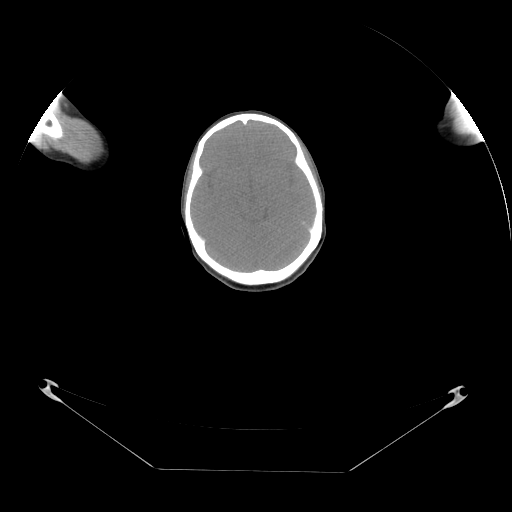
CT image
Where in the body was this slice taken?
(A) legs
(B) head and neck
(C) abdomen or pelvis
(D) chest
(B) head and neck
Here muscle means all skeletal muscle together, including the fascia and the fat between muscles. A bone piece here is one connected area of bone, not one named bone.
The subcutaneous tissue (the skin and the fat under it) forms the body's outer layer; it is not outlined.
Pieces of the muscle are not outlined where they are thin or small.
{"brain":[[[239,121],[243,125],[249,121],[265,123],[285,134],[295,149],[293,162],[304,175],[313,198],[314,214],[306,243],[291,261],[275,269],[244,271],[222,264],[208,252],[206,240],[197,231],[192,218],[194,190],[204,171],[200,160],[205,144],[213,134]]],"muscle":[[[54,98],[57,99],[58,107],[64,114],[84,120],[98,133],[102,140],[104,149],[102,155],[98,159],[86,164],[59,151],[45,151],[35,144],[35,141],[30,137],[37,124],[43,134],[54,140],[60,139],[64,135],[63,128],[58,117],[44,112]],[[455,97],[458,98],[458,99],[463,104],[465,108],[472,117],[480,132],[481,137],[477,137],[476,139],[472,139],[468,136],[462,136],[461,135],[459,135],[453,131],[451,126],[451,119],[448,115],[448,108],[449,107],[450,102],[451,101],[452,102]],[[301,143],[306,150],[310,158],[310,160],[314,167],[314,169],[315,170],[315,172],[316,173],[316,175],[317,176],[317,178],[321,188],[322,195],[323,196],[323,204],[322,198],[321,197],[321,193],[320,192],[317,181],[305,157],[304,152],[302,149]],[[193,155],[193,158],[192,159],[192,165],[191,166],[191,173],[190,174],[190,178],[188,182],[188,185],[186,189],[185,197],[184,198],[183,213],[183,197],[184,196],[185,182],[186,181],[186,178],[187,177],[187,172],[189,169],[189,165],[191,162]]],"head":[[[244,109],[259,109],[270,112],[285,121],[299,134],[315,161],[327,196],[327,233],[319,253],[305,272],[295,281],[272,291],[235,290],[214,278],[193,257],[188,242],[183,241],[176,225],[176,221],[180,219],[182,178],[197,138],[210,123],[221,115]]],"left_arm":[[[451,96],[454,96],[458,98],[468,111],[475,122],[481,135],[481,140],[480,140],[477,144],[472,146],[468,146],[467,147],[459,147],[458,146],[454,146],[448,143],[446,143],[437,136],[434,129],[434,124],[442,115],[443,107],[447,99]]],"bones":[{"outer":[[239,113],[259,113],[267,115],[279,120],[293,131],[300,142],[304,157],[316,181],[323,205],[322,231],[316,247],[290,276],[273,283],[247,285],[235,282],[221,275],[198,255],[191,243],[185,226],[185,198],[191,178],[197,143],[214,124],[224,118]],"hole":[[239,121],[243,125],[249,121],[265,123],[285,134],[295,149],[293,162],[304,175],[313,198],[314,214],[306,243],[291,261],[275,269],[244,271],[222,264],[208,252],[206,240],[197,231],[192,218],[194,190],[204,171],[200,160],[205,144],[213,134]]},[[44,113],[48,115],[53,115],[57,117],[59,121],[59,123],[61,125],[61,127],[62,128],[62,131],[63,132],[63,135],[62,137],[60,138],[58,138],[57,139],[54,139],[50,136],[43,133],[41,131],[37,123],[40,119],[41,116]]],"right_arm":[[[60,93],[67,96],[80,111],[86,117],[97,125],[105,134],[109,143],[110,157],[109,161],[103,168],[97,171],[89,172],[76,169],[67,163],[52,161],[42,155],[32,145],[32,143],[30,142],[29,139],[31,134],[41,116],[48,107],[49,104]]]}